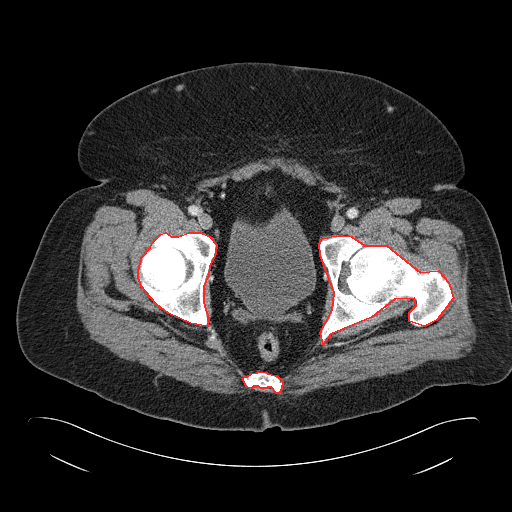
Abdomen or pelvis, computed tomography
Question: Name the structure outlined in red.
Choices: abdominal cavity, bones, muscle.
Answer: red: bones.
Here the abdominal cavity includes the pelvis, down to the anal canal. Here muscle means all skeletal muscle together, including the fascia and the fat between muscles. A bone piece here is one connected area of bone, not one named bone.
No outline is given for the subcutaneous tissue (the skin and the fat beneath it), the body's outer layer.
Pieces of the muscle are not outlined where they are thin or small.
bones 1: 336,235 351,236 364,245 386,245 420,272 438,270 448,282 453,298 436,320 424,326 409,321 409,312 416,305 414,298 394,299 371,317 330,334 323,344 320,332 332,310 334,292 320,255 319,243 322,238
bones 2: 165,232 171,236 178,236 189,232 200,232 209,236 216,244 215,253 209,266 208,274 203,286 203,302 208,319 207,326 190,323 168,313 156,304 141,286 138,277 138,270 142,256 150,247 153,241 160,234
bones 3: 258,371 266,372 267,373 275,375 280,378 282,380 282,385 281,386 280,391 278,393 276,393 271,387 267,387 266,388 261,388 258,386 253,386 251,388 247,387 242,378 245,376 247,376 251,373 257,372
abdominal cavity: 273,169 279,169 308,186 317,187 333,200 318,243 327,276 321,317 323,325 305,353 281,375 261,370 244,373 218,335 212,321 210,292 210,266 216,253 218,229 202,208 202,201 212,186 229,179 242,181
torso: 245,61 367,75 414,97 447,127 465,163 458,186 484,206 502,254 511,298 511,371 503,380 432,386 379,412 256,432 152,417 26,359 15,321 24,278 59,204 97,183 77,160 87,124 116,99 161,78
muscle 1: 275,156 296,159 366,196 428,200 463,231 469,254 468,307 476,328 471,353 286,400 265,392 229,396 191,386 122,359 85,335 76,315 79,253 86,225 101,205 123,191 152,188 169,192 242,160; inner edge: 273,169 332,196 321,239 386,245 438,270 454,295 424,326 409,321 416,300 404,296 323,344 319,335 277,376 278,393 247,387 219,337 211,268 207,326 162,309 138,277 162,233 218,239 202,208 212,186
muscle 2: 328,276 330,280 331,285 332,286 332,291 333,292 333,301 332,302 332,307 329,313 329,315 326,321 323,324 322,322 322,317 323,316 323,313 324,312 324,305 325,304 325,300 326,299 326,294 327,293